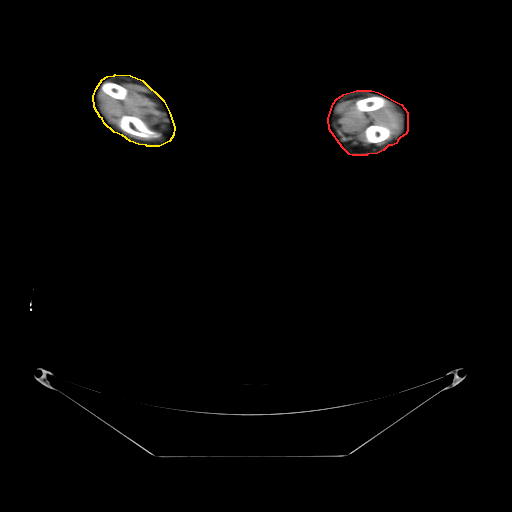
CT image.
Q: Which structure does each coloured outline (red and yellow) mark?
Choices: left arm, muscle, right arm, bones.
A: red: left arm; yellow: right arm.
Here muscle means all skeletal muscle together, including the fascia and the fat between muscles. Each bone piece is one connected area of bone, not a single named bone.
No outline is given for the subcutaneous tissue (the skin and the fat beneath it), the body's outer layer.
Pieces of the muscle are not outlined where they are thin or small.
The left arm is outlined by [[356,90],[371,90],[378,92],[401,104],[407,112],[407,131],[405,134],[400,137],[397,140],[396,143],[392,145],[388,145],[383,150],[377,153],[367,154],[366,155],[352,155],[349,154],[342,147],[329,129],[328,118],[333,103],[336,99],[343,94]]. The right arm is outlined by [[115,74],[130,75],[142,80],[163,100],[169,112],[174,127],[173,135],[169,141],[159,146],[147,146],[146,145],[138,144],[130,141],[122,135],[114,132],[104,123],[102,118],[100,117],[94,107],[93,96],[96,88],[102,79],[107,76],[114,75]]. The muscle appears in 2 outlined pieces: piece 1: [[366,94],[370,95],[369,96],[359,98],[354,103],[358,111],[360,112],[375,111],[391,102],[399,109],[403,116],[402,128],[399,133],[384,143],[371,147],[353,144],[339,131],[338,129],[339,127],[336,122],[336,110],[341,102],[357,98]], around a hole outlined by [[370,125],[380,125],[381,126],[384,126],[385,127],[387,127],[391,131],[391,135],[389,137],[389,138],[388,138],[385,140],[383,140],[380,142],[378,142],[377,143],[370,143],[369,142],[366,141],[366,138],[365,137],[365,129],[368,126],[369,126]]; piece 2: [[111,81],[131,82],[142,86],[148,91],[163,113],[165,124],[163,137],[160,138],[162,134],[159,131],[151,128],[135,115],[123,114],[117,120],[117,127],[108,120],[98,103],[98,86],[101,92],[118,100],[125,100],[128,95],[128,90],[124,86]]. The bones appear in 4 outlined pieces: piece 1: [[123,115],[129,115],[130,116],[135,116],[136,117],[140,118],[151,129],[159,132],[161,134],[161,136],[158,139],[145,139],[144,138],[141,138],[140,137],[138,137],[137,136],[129,134],[126,132],[124,132],[118,127],[118,120]]; piece 2: [[375,95],[378,95],[379,96],[383,96],[389,101],[384,106],[378,109],[376,109],[375,110],[372,110],[371,111],[360,111],[357,109],[355,105],[355,103],[357,100],[359,99],[362,99],[366,97],[369,97],[370,96],[374,96]]; piece 3: [[370,125],[380,125],[381,126],[384,126],[385,127],[387,127],[391,131],[391,135],[389,137],[389,138],[388,138],[385,140],[383,140],[380,142],[378,142],[377,143],[370,143],[369,142],[366,141],[366,138],[365,137],[365,129],[368,126],[369,126]]; piece 4: [[104,81],[110,81],[111,82],[114,82],[115,83],[117,83],[121,86],[124,87],[127,90],[127,95],[126,96],[125,99],[118,99],[117,98],[112,97],[111,96],[106,94],[104,92],[101,91],[99,89],[99,87],[100,86],[100,84]].